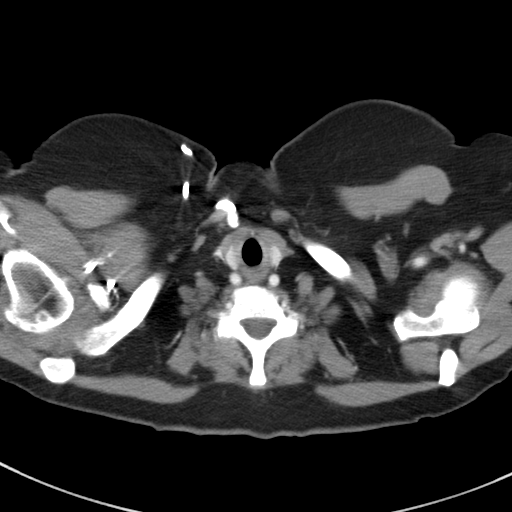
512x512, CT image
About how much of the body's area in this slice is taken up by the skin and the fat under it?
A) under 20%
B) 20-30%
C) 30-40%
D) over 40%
C) 30-40%
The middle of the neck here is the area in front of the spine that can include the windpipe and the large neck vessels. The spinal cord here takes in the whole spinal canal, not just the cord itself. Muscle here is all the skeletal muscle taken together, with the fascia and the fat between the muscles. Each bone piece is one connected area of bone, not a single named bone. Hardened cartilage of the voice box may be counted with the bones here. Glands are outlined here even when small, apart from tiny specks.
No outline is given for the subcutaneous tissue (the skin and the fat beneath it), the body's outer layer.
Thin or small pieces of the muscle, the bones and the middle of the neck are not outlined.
{"torso":[[[370,97],[423,108],[468,144],[443,201],[446,276],[453,301],[511,344],[507,378],[415,423],[269,439],[157,431],[4,381],[37,362],[73,310],[63,216],[25,160],[43,139],[79,116],[124,112],[205,145],[218,168],[237,158],[266,166],[324,113]]],"thyroid_glands":[[[235,238],[243,238],[243,241],[242,242],[242,244],[241,245],[241,247],[240,248],[240,257],[241,258],[241,264],[239,266],[239,267],[234,269],[233,268],[230,267],[224,261],[224,253],[225,252],[225,251],[229,247],[229,246],[231,244],[231,243]],[[261,241],[263,242],[267,242],[270,244],[272,244],[274,245],[280,251],[282,252],[283,254],[283,256],[280,260],[278,265],[276,267],[270,267],[268,266],[268,265],[266,263],[266,257],[265,256],[265,254],[266,253],[265,252],[265,246],[264,244]]],"bones":[[[19,247],[26,248],[53,268],[60,276],[62,281],[68,284],[68,287],[74,298],[74,308],[70,316],[61,325],[51,331],[45,333],[24,331],[8,321],[3,313],[3,306],[8,297],[8,294],[4,278],[0,272],[0,263],[3,254],[7,250]],{"outer":[[244,285],[264,286],[281,298],[287,296],[290,307],[304,315],[295,335],[277,340],[266,351],[263,368],[267,381],[262,387],[252,387],[249,384],[252,359],[247,348],[233,338],[214,339],[213,337],[213,328],[217,319],[212,315],[224,307],[234,288]],"hole":[[252,318],[265,318],[266,319],[271,319],[275,321],[275,323],[266,335],[260,338],[257,338],[256,337],[254,337],[250,335],[248,333],[248,332],[246,330],[244,326],[241,323],[241,321],[242,320],[244,320],[245,319],[251,319]]},[[456,276],[467,276],[477,284],[479,291],[477,305],[480,317],[478,326],[465,333],[446,334],[440,336],[420,336],[400,341],[392,324],[394,317],[400,311],[408,308],[420,316],[429,315],[433,311],[435,304],[442,297],[442,289],[446,281],[449,278]],[[154,272],[160,273],[164,277],[165,280],[152,306],[143,320],[127,335],[112,346],[105,354],[99,356],[88,356],[81,353],[74,343],[75,338],[77,336],[79,337],[81,336],[86,329],[93,325],[99,324],[114,315],[128,300],[132,292],[140,283]],[[303,239],[309,239],[313,241],[320,242],[330,247],[336,252],[337,252],[349,264],[351,268],[351,271],[352,272],[352,278],[350,280],[341,281],[340,280],[338,280],[336,279],[334,277],[330,275],[307,253],[307,252],[304,249],[301,243]],[[47,356],[51,356],[52,357],[71,357],[75,362],[75,375],[74,377],[73,377],[70,380],[69,380],[67,382],[63,384],[56,384],[55,383],[53,383],[49,381],[44,376],[41,369],[39,367],[39,362],[40,360],[42,358],[44,357],[46,357]],[[445,347],[450,347],[453,349],[455,351],[459,361],[459,364],[457,366],[457,368],[455,371],[455,377],[456,378],[455,382],[450,386],[448,386],[447,387],[445,386],[441,386],[437,384],[437,381],[439,376],[439,358],[440,357],[440,354],[442,350]],[[89,282],[91,283],[99,283],[103,286],[105,286],[107,290],[110,293],[109,296],[110,297],[110,300],[111,301],[111,305],[110,307],[107,310],[105,311],[101,311],[97,307],[96,304],[91,298],[89,294],[89,292],[86,287],[86,285],[87,283]],[[0,203],[3,206],[4,206],[9,211],[9,212],[11,215],[11,216],[9,219],[9,222],[10,223],[11,223],[15,227],[15,228],[17,230],[17,234],[18,235],[18,237],[14,237],[12,235],[11,235],[10,234],[9,234],[0,225]]],"spinal_cord":[[[252,318],[265,318],[266,319],[271,319],[275,321],[275,323],[266,335],[260,338],[257,338],[256,337],[254,337],[250,335],[248,333],[248,332],[246,330],[244,326],[241,323],[241,321],[242,320],[244,320],[245,319],[251,319]]],"muscle":[{"outer":[[420,163],[456,189],[441,207],[447,226],[491,233],[511,221],[511,348],[456,381],[460,361],[445,346],[444,388],[347,407],[305,384],[213,384],[158,404],[56,385],[75,377],[71,356],[39,360],[52,383],[0,358],[0,273],[2,313],[24,332],[51,332],[75,308],[69,284],[26,247],[0,262],[0,226],[19,237],[1,192],[42,201],[67,183],[153,204],[222,192],[306,209],[329,205],[333,186],[379,183]],"holes":[[[249,234],[284,251],[288,264],[283,277],[275,286],[264,286],[287,296],[290,307],[304,315],[295,335],[266,351],[262,387],[249,384],[252,359],[247,348],[233,338],[213,337],[217,319],[212,315],[238,286],[216,259],[216,250],[224,253],[235,238]],[[456,276],[467,276],[477,284],[479,291],[477,305],[480,317],[478,326],[465,333],[446,334],[440,336],[420,336],[400,341],[392,324],[394,317],[400,311],[408,308],[420,316],[429,315],[433,311],[435,304],[442,297],[442,289],[446,281],[449,278]],[[154,272],[160,273],[164,277],[165,280],[152,306],[143,320],[127,335],[112,346],[105,354],[99,356],[88,356],[81,353],[74,343],[75,338],[77,336],[79,337],[81,336],[86,329],[93,325],[99,324],[114,315],[128,300],[132,292],[140,283]],[[303,239],[309,239],[313,241],[320,242],[330,247],[336,252],[337,252],[349,264],[351,268],[351,271],[352,272],[352,278],[350,280],[341,281],[340,280],[338,280],[336,279],[334,277],[330,275],[307,253],[307,252],[304,249],[301,243]],[[89,282],[91,283],[99,283],[103,286],[105,286],[107,290],[110,293],[109,296],[110,297],[110,300],[111,301],[111,305],[110,307],[107,310],[105,311],[101,311],[97,307],[96,304],[91,298],[89,294],[89,292],[86,287],[86,285],[87,283]]]}],"middle_of_the_neck":[[[249,234],[256,234],[263,244],[265,263],[268,267],[276,268],[284,255],[287,257],[287,267],[277,285],[242,283],[238,286],[216,259],[216,250],[220,250],[223,253],[223,261],[230,268],[234,270],[239,268],[242,264],[241,248],[244,237]]],"right_arm":[[[1,149],[7,152],[14,163],[18,164],[23,161],[26,162],[61,214],[62,224],[63,225],[64,224],[65,232],[67,235],[68,269],[70,280],[72,283],[72,310],[68,319],[55,334],[48,344],[44,353],[27,371],[14,371],[3,381],[0,380]]],"left_arm":[[[490,131],[511,135],[511,343],[508,340],[490,330],[466,307],[454,301],[447,276],[446,246],[444,243],[444,229],[446,227],[446,224],[444,223],[442,225],[444,201],[446,199],[446,196],[448,194],[448,191],[457,169],[468,148],[469,143],[480,134]]]}